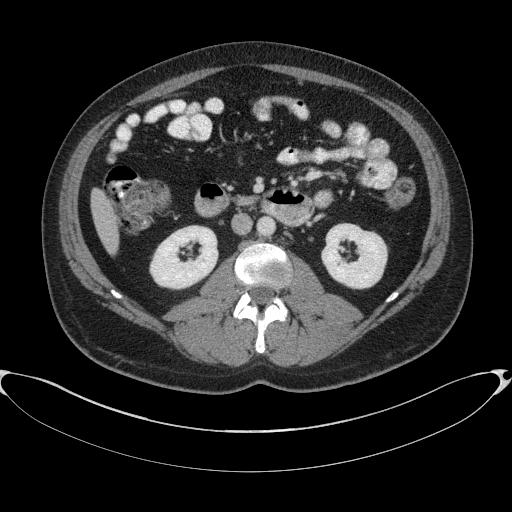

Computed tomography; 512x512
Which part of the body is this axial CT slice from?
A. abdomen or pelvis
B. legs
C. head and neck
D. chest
Answer: A. abdomen or pelvis
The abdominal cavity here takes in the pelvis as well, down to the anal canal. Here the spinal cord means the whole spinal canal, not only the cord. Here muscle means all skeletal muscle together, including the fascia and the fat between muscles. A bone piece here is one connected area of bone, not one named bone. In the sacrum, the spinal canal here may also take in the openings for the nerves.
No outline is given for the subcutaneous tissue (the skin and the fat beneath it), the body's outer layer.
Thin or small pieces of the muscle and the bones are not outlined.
{"abdominal_cavity":[[[156,315],[197,295],[223,259],[253,241],[275,243],[293,252],[310,265],[325,291],[341,295],[365,313],[373,309],[414,267],[429,219],[429,190],[414,142],[390,114],[353,90],[252,66],[217,72],[125,112],[88,158],[78,212],[85,242],[104,274]]],"torso":[[[210,395],[256,384],[307,393],[359,383],[420,357],[457,319],[473,258],[473,220],[463,171],[430,111],[387,75],[295,44],[218,43],[167,58],[117,82],[80,113],[65,135],[51,164],[41,206],[44,271],[61,328],[83,354],[108,370],[167,389]]],"muscle":[{"outer":[[226,370],[228,369],[238,369],[252,360],[255,360],[260,357],[282,367],[311,367],[321,362],[329,360],[347,349],[352,344],[360,339],[369,330],[374,328],[403,308],[414,297],[421,292],[424,284],[435,274],[445,255],[446,245],[449,238],[449,230],[450,229],[450,196],[448,191],[448,183],[445,175],[443,164],[429,135],[424,128],[409,112],[396,103],[389,100],[387,98],[368,91],[365,88],[359,85],[346,81],[341,78],[338,78],[335,76],[332,76],[315,70],[311,70],[295,66],[290,66],[289,65],[273,64],[272,63],[271,64],[262,64],[253,62],[238,63],[225,66],[202,68],[198,70],[182,74],[179,76],[170,78],[163,82],[161,82],[126,102],[123,105],[120,106],[117,110],[105,116],[96,123],[78,143],[70,157],[68,165],[64,172],[62,186],[59,194],[59,206],[58,207],[59,210],[59,231],[60,232],[61,244],[65,256],[72,271],[79,279],[90,295],[103,306],[110,309],[121,316],[159,334],[164,339],[171,343],[185,357],[193,361],[201,363],[213,369],[225,369]],"hole":[[259,353],[265,349],[267,325],[274,320],[284,321],[288,314],[279,291],[292,275],[289,251],[310,265],[325,291],[341,295],[367,313],[399,294],[397,288],[419,257],[430,205],[419,152],[385,110],[353,90],[243,66],[146,101],[118,118],[88,158],[78,212],[86,244],[120,291],[111,289],[111,293],[119,299],[125,294],[156,315],[197,295],[219,263],[236,251],[234,272],[244,288],[232,314],[256,325],[254,346]]}],"spinal_cord":[[[259,305],[265,305],[271,302],[271,299],[274,295],[274,291],[273,289],[269,286],[265,286],[264,285],[259,285],[258,286],[250,286],[249,288],[249,293],[252,299],[252,303],[256,303]]],"bones":[{"outer":[[259,353],[265,349],[264,331],[267,325],[274,320],[284,321],[288,314],[279,291],[289,283],[292,268],[286,252],[281,247],[271,243],[253,242],[242,250],[234,263],[235,275],[244,288],[232,314],[235,318],[248,318],[256,325],[257,336],[254,346]],"hole":[[259,305],[265,305],[271,302],[271,299],[274,295],[274,291],[273,289],[269,286],[265,286],[264,285],[259,285],[258,286],[250,286],[249,288],[249,293],[252,299],[252,303],[256,303]]},[[386,303],[387,303],[388,302],[390,302],[391,301],[392,301],[394,299],[395,299],[397,297],[397,296],[399,294],[399,289],[397,289],[396,290],[395,290],[393,292],[392,292],[385,299],[385,300],[384,301]]]}